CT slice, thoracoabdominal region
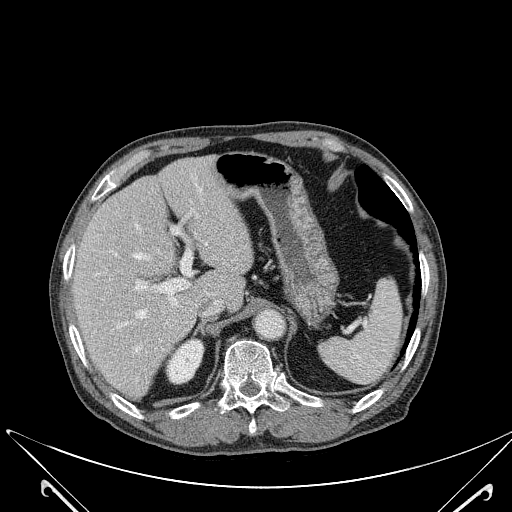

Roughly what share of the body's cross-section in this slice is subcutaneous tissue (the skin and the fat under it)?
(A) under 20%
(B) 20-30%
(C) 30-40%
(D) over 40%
(A) under 20%
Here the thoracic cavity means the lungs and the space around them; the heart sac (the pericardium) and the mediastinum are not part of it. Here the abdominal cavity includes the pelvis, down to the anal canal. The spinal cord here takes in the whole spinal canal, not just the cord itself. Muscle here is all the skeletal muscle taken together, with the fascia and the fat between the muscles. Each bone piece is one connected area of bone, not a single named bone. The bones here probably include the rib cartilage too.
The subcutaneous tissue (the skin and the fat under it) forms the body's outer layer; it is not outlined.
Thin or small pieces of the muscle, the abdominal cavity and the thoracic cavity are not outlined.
The mediastinum appears in 2 outlined pieces: piece 1: 262 306; 271 306; 279 310; 285 316; 287 320; 288 324; 287 333; 285 336; 281 355; 277 359; 274 359; 272 357; 272 353; 266 344; 253 338; 246 337; 241 338; 229 344; 230 338; 237 327; 246 318; 249 317; 254 311; piece 2: 331 151; 332 152; 335 152; 336 153; 341 153; 347 156; 349 156; 350 157; 355 158; 357 160; 361 162; 360 162; 357 165; 355 169; 346 169; 344 167; 344 161; 342 160; 338 156; 333 155; 331 153. The thoracic cavity is outlined by 360 163; 366 164; 371 168; 402 204; 409 215; 416 239; 420 274; 420 301; 416 325; 402 357; 400 352; 406 338; 413 311; 413 290; 416 278; 414 256; 410 245; 398 230; 391 223; 371 214; 360 202; 359 188; 355 176; 356 168. The bones appear in 11 outlined pieces: piece 1: 246 338; 266 345; 273 363; 287 380; 294 387; 321 397; 324 405; 304 405; 286 395; 289 407; 284 411; 262 404; 253 415; 257 428; 253 435; 248 433; 251 415; 244 407; 223 413; 215 410; 223 393; 218 381; 224 353; 231 343 with a hole at 248 380; 251 380; 252 381; 253 381; 254 382; 257 383; 259 385; 259 387; 260 388; 259 389; 259 390; 257 393; 256 393; 254 395; 252 395; 251 396; 248 396; 247 395; 244 394; 240 390; 240 387; 246 381; 247 381; piece 2: 142 149; 151 149; 152 150; 151 155; 141 163; 138 163; 135 166; 132 167; 121 178; 119 183; 113 189; 110 190; 104 195; 103 197; 98 200; 91 201; 90 199; 91 196; 102 178; 112 169; 120 165; 123 162; 127 160; 133 154; piece 3: 383 172; 385 172; 391 177; 392 177; 404 190; 404 191; 406 193; 412 203; 412 205; 414 209; 412 213; 409 213; 407 211; 403 204; 400 201; 400 200; 397 197; 394 192; 382 179; 380 175; piece 4: 70 322; 73 323; 77 328; 77 330; 79 333; 79 336; 81 339; 81 341; 85 351; 85 355; 92 369; 91 371; 84 366; 81 359; 79 357; 77 352; 74 348; 74 346; 71 341; 71 339; 69 335; 69 332; 68 331; 68 324; piece 5: 380 387; 382 387; 384 388; 384 392; 375 402; 371 404; 368 407; 360 411; 358 411; 353 414; 352 413; 350 413; 348 411; 348 409; 349 409; 353 405; 354 402; 358 400; 365 394; 377 388; 379 388; piece 6: 111 391; 118 394; 121 397; 122 397; 127 401; 135 405; 139 409; 140 409; 141 412; 145 417; 143 419; 139 419; 138 418; 136 418; 126 413; 124 411; 120 409; 117 406; 116 406; 114 404; 112 400; 109 397; 108 393; piece 7: 416 326; 418 326; 421 330; 420 339; 419 340; 418 345; 410 361; 406 366; 405 369; 401 371; 400 370; 400 368; 401 367; 401 364; 403 361; 403 357; 404 356; 404 354; 405 353; 406 348; 410 341; 410 339; 413 334; 413 332; piece 8: 192 401; 199 401; 201 403; 201 405; 200 407; 197 408; 188 415; 181 417; 180 418; 178 418; 177 419; 172 419; 166 415; 166 412; 171 408; 173 408; 174 407; 176 407; 177 406; 179 406; 180 405; 182 405; 183 404; 185 404; piece 9: 419 250; 422 250; 422 251; 424 253; 424 254; 426 257; 426 259; 427 260; 427 262; 428 263; 428 266; 429 267; 429 283; 428 284; 428 286; 427 287; 427 292; 424 297; 421 297; 421 274; 420 273; 420 264; 419 263; piece 10: 72 242; 73 242; 75 244; 75 254; 74 255; 74 259; 73 260; 73 267; 72 268; 72 272; 71 273; 71 277; 70 278; 70 279; 67 281; 65 281; 63 278; 63 272; 62 271; 62 265; 63 264; 64 255; 65 254; 68 247; piece 11: 313 137; 317 137; 318 138; 330 138; 331 139; 334 139; 335 140; 338 141; 340 143; 341 143; 344 146; 344 150; 341 152; 336 152; 335 151; 332 151; 331 150; 322 146; 321 143; 319 141; 316 141; 315 140; 313 140. The spinal cord is outlined by 248 380; 251 380; 252 381; 253 381; 254 382; 257 383; 259 385; 259 387; 260 388; 259 389; 259 390; 257 393; 256 393; 254 395; 252 395; 251 396; 248 396; 247 395; 244 394; 240 390; 240 387; 246 381; 247 381. The torso is outlined by 278 120; 331 125; 367 140; 400 170; 428 209; 439 232; 447 272; 443 315; 429 370; 403 419; 328 448; 199 456; 140 441; 90 412; 76 395; 68 377; 52 326; 48 294; 50 267; 62 224; 78 194; 101 163; 134 139; 182 127. The abdominal cavity is outlined by 241 138; 327 149; 346 170; 355 170; 361 205; 391 224; 413 256; 402 358; 366 393; 309 393; 274 363; 289 324; 279 309; 262 305; 234 330; 205 393; 173 407; 141 409; 112 391; 86 355; 70 298; 76 243; 98 202; 143 162. The muscle appears in 2 outlined pieces: piece 1: 295 130; 318 130; 331 133; 371 154; 384 163; 397 176; 408 189; 422 212; 422 216; 425 220; 425 230; 433 244; 432 251; 437 265; 438 292; 436 312; 432 324; 432 331; 420 367; 403 392; 393 403; 372 417; 360 422; 344 434; 327 441; 288 441; 283 438; 274 437; 266 432; 258 438; 247 438; 242 435; 236 441; 219 447; 183 446; 154 436; 134 426; 117 416; 95 400; 81 385; 73 368; 70 353; 63 333; 58 305; 58 289; 61 274; 59 252; 62 242; 71 226; 80 204; 96 180; 111 164; 135 147; 142 144; 165 138; 192 136; 209 137; 217 135; 249 135; 257 133, around a hole outlined by 313 137; 334 139; 344 146; 342 154; 379 176; 385 172; 412 203; 414 210; 408 214; 417 248; 428 263; 429 283; 419 302; 420 339; 405 369; 400 370; 402 358; 379 386; 384 388; 381 396; 353 414; 348 409; 364 393; 322 396; 320 407; 286 395; 289 407; 284 411; 262 404; 253 415; 253 435; 244 407; 215 410; 223 393; 221 369; 209 389; 193 400; 200 407; 186 416; 172 419; 166 415; 168 407; 141 409; 145 417; 139 419; 120 409; 109 397; 112 390; 84 366; 71 341; 68 324; 75 322; 70 281; 62 271; 68 247; 78 241; 100 201; 90 199; 102 178; 142 149; 152 150; 148 160; 241 138; 325 149; piece 2: 138 164; 139 164; 139 165; 138 165; 130 173; 129 173; 125 177; 124 177; 123 178; 123 177; 132 168; 133 168; 134 167; 135 167.